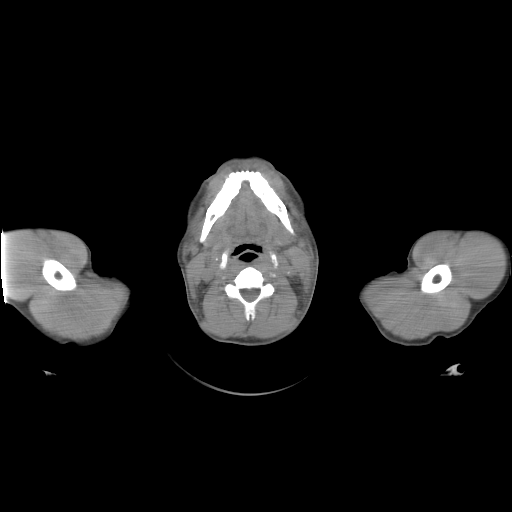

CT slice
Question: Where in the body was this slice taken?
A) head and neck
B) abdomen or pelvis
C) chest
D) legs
Answer: A) head and neck
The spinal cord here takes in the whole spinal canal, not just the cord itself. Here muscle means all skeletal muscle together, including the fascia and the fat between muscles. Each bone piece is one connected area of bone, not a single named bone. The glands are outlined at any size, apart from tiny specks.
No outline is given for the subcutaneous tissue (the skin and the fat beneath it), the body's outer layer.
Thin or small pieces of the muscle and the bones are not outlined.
spinal cord: 252 288; 257 288; 258 289; 259 289; 259 293; 256 296; 256 297; 254 299; 253 299; 252 300; 251 300; 250 301; 249 301; 248 300; 247 300; 246 299; 245 299; 242 296; 242 295; 240 292; 240 290; 241 289; 251 289
head and neck: 246 154; 255 154; 267 159; 290 179; 304 200; 307 219; 318 247; 317 280; 307 314; 295 331; 284 339; 269 345; 246 346; 218 342; 207 337; 199 329; 188 307; 183 278; 176 260; 176 248; 184 232; 187 206; 201 182; 228 158 with a hole at 244 244; 254 244; 257 246; 260 246; 262 248; 262 254; 256 259; 255 259; 254 260; 252 260; 249 262; 242 262; 241 261; 238 261; 237 260; 235 260; 234 259; 233 259; 230 256; 230 254; 232 252; 233 252; 238 246; 241 246
right arm: 38 225; 62 228; 78 235; 89 246; 92 256; 92 265; 97 272; 117 275; 131 286; 134 298; 133 306; 105 341; 88 347; 78 347; 69 343; 62 345; 57 344; 39 333; 11 305; 6 305; 3 280; 1 277; 1 234; 13 228
muscle 1: 242 161; 258 161; 265 164; 286 184; 287 190; 296 204; 303 221; 306 235; 302 236; 300 240; 305 245; 309 243; 309 240; 313 251; 311 281; 305 299; 299 308; 300 312; 297 316; 296 322; 287 331; 271 338; 220 337; 208 332; 202 324; 201 315; 192 298; 182 258; 182 253; 184 255; 187 254; 196 247; 197 238; 192 233; 189 233; 190 224; 205 192; 206 186; 224 167; 234 162 with holes at 241 170; 259 171; 285 205; 294 234; 289 234; 290 240; 284 245; 277 243; 274 233; 276 226; 282 224; 281 221; 267 209; 247 180; 241 183; 237 194; 232 198; 224 213; 212 225; 204 242; 199 241; 207 208; 228 174; 232 171 and at 246 266; 252 266; 258 269; 265 277; 268 278; 268 280; 274 287; 274 292; 272 295; 261 299; 256 304; 255 317; 250 320; 247 320; 245 318; 243 304; 236 298; 228 297; 224 290; 225 284; 230 279; 233 278; 241 269 and at 244 244; 254 244; 257 246; 260 246; 262 248; 262 254; 256 259; 255 259; 254 260; 252 260; 249 262; 242 262; 241 261; 238 261; 237 260; 235 260; 234 259; 233 259; 230 256; 230 254; 232 252; 233 252; 238 246; 241 246 and at 225 250; 226 250; 227 251; 227 252; 228 253; 228 255; 227 256; 227 261; 226 262; 226 265; 225 266; 225 267; 224 268; 221 268; 220 267; 220 266; 219 265; 220 264; 220 262; 221 261; 221 256; 222 255; 222 253 and at 270 252; 273 252; 275 254; 275 255; 276 256; 276 259; 277 260; 277 267; 276 268; 275 268; 274 267; 274 265; 273 264; 273 262; 272 261; 272 260; 271 259; 271 257; 270 256
muscle 2: 436 232; 480 233; 494 238; 502 245; 506 255; 505 273; 492 293; 473 302; 468 317; 457 329; 436 331; 420 339; 403 339; 392 334; 381 324; 366 305; 363 292; 372 281; 378 278; 408 271; 414 265; 412 252; 415 245; 423 237 with a hole at 440 263; 446 263; 449 265; 450 269; 451 270; 451 273; 452 274; 452 277; 451 278; 450 282; 443 289; 440 290; 438 292; 436 292; 435 293; 424 293; 422 292; 420 289; 420 282; 421 281; 421 279; 423 275; 430 268
muscle 3: 39 229; 63 232; 73 236; 86 249; 88 258; 86 270; 102 278; 115 279; 126 287; 125 304; 103 334; 87 340; 54 336; 45 331; 34 320; 23 303; 13 299; 6 300; 1 277; 1 234; 4 231; 8 232; 8 230; 16 232 with a hole at 46 258; 52 258; 53 259; 55 259; 59 261; 71 272; 71 273; 74 276; 76 280; 76 287; 74 289; 72 290; 65 290; 64 291; 62 290; 58 290; 54 288; 46 281; 46 280; 42 275; 42 265; 43 264; 43 261; 44 259
left arm: 438 228; 479 228; 501 237; 507 243; 511 254; 508 282; 501 293; 458 335; 450 338; 439 336; 431 343; 419 346; 390 342; 378 331; 362 308; 358 300; 358 290; 373 276; 390 270; 403 270; 406 267; 407 253; 414 240; 421 234
parotid glands 1: 189 234; 192 234; 193 235; 193 236; 196 238; 196 242; 195 243; 195 247; 191 251; 189 251; 187 253; 185 253; 184 254; 182 252; 181 252; 180 251; 180 249; 181 248; 181 246; 182 245; 182 244; 186 240; 186 239
parotid glands 2: 305 236; 306 236; 307 236; 308 237; 308 238; 308 239; 308 240; 308 241; 308 242; 308 243; 307 244; 306 244; 305 244; 304 243; 303 243; 303 242; 302 241; 301 240; 301 239; 301 238; 302 237; 303 237; 304 237
bones 1: 241 170; 259 171; 262 174; 285 205; 294 231; 293 235; 286 229; 279 218; 267 209; 260 198; 254 193; 249 182; 244 180; 224 213; 212 225; 204 242; 201 243; 199 241; 207 208; 221 188; 228 174; 232 171
bones 2: 246 266; 252 266; 258 269; 265 277; 268 278; 268 280; 274 287; 274 292; 272 295; 261 299; 256 304; 255 317; 250 320; 247 320; 245 318; 243 304; 236 298; 228 297; 224 290; 225 284; 230 279; 233 278; 241 269 with a hole at 252 288; 257 288; 258 289; 259 289; 259 293; 256 296; 256 297; 254 299; 253 299; 252 300; 251 300; 250 301; 249 301; 248 300; 247 300; 246 299; 245 299; 242 296; 242 295; 240 292; 240 290; 241 289; 251 289
bones 3: 46 258; 52 258; 53 259; 55 259; 59 261; 71 272; 71 273; 74 276; 76 280; 76 287; 74 289; 72 290; 65 290; 64 291; 62 290; 58 290; 54 288; 46 281; 46 280; 42 275; 42 265; 43 264; 43 261; 44 259
bones 4: 440 263; 446 263; 449 265; 450 269; 451 270; 451 273; 452 274; 452 277; 451 278; 450 282; 443 289; 440 290; 438 292; 436 292; 435 293; 424 293; 422 292; 420 289; 420 282; 421 281; 421 279; 423 275; 430 268
submandibular glands: 279 225; 282 225; 285 228; 285 229; 288 232; 288 233; 289 234; 289 237; 290 238; 290 240; 284 245; 279 245; 277 243; 277 242; 276 241; 276 239; 275 238; 275 234; 274 233; 274 230; 275 229; 276 226; 278 226